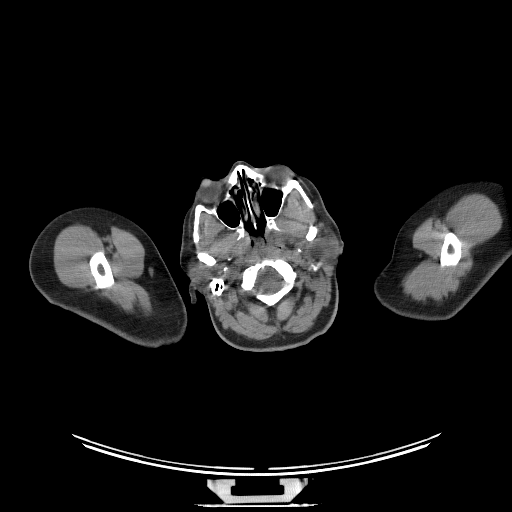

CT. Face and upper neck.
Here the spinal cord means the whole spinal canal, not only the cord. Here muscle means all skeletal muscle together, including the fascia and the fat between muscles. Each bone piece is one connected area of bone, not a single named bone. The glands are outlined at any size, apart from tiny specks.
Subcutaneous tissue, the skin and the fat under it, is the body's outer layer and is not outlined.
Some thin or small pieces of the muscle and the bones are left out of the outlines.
{"head_and_neck":[{"outer":[[236,160],[255,167],[279,162],[305,176],[319,191],[338,226],[344,254],[336,267],[337,311],[329,329],[305,345],[269,352],[235,348],[215,331],[204,296],[198,291],[196,302],[191,303],[189,279],[179,264],[183,219],[198,180],[203,176],[225,176]],"holes":[[[241,190],[242,190],[243,192],[243,195],[240,198],[239,220],[237,225],[231,226],[226,223],[218,214],[218,206],[222,202],[225,202],[226,201],[230,201],[236,206],[237,205],[236,197],[238,196],[238,194]],[[264,188],[269,188],[270,189],[277,190],[281,193],[281,197],[280,198],[280,203],[277,209],[277,211],[274,215],[268,215],[263,210],[262,211],[262,208],[261,207],[261,205],[260,204],[260,202],[258,198],[259,198],[262,194]],[[262,214],[262,216],[265,222],[263,234],[261,235],[251,235],[249,233],[249,232],[247,230],[246,230],[246,228],[245,227],[245,223],[249,218],[251,221],[252,226],[255,230],[257,228],[257,221],[256,220],[257,218],[260,218]]]}],"muscle":[{"outer":[[299,179],[311,191],[318,204],[319,217],[325,222],[318,234],[319,228],[310,223],[304,237],[309,242],[314,239],[311,256],[331,264],[330,301],[315,325],[306,332],[262,341],[249,340],[222,327],[203,289],[211,277],[208,267],[215,265],[217,260],[207,250],[200,249],[201,214],[204,212],[212,215],[224,227],[235,233],[237,241],[245,239],[250,243],[251,236],[281,230],[276,220],[293,190],[310,210],[314,208]],"holes":[[[263,258],[271,258],[272,259],[282,258],[291,264],[297,274],[297,276],[294,281],[293,287],[276,303],[270,306],[257,299],[250,291],[246,291],[244,290],[241,287],[240,284],[241,283],[241,274],[242,271],[246,267],[252,264],[254,264]],[[213,277],[223,277],[224,278],[224,281],[225,282],[225,283],[227,285],[227,288],[225,290],[224,290],[222,292],[221,295],[220,295],[219,296],[218,295],[213,295],[211,292],[211,290],[209,288],[209,287],[208,286],[208,284],[209,283],[209,282]],[[317,262],[320,262],[321,263],[321,264],[320,265],[320,266],[318,268],[318,269],[316,271],[313,271],[311,269],[311,268],[310,267],[310,265],[312,263],[316,263]]]},{"outer":[[473,192],[487,195],[498,205],[503,219],[499,232],[477,247],[475,250],[475,265],[455,294],[450,295],[440,303],[431,299],[423,303],[405,296],[398,283],[415,264],[414,256],[416,252],[411,244],[413,231],[427,217],[433,214],[441,217],[460,197]],"hole":[[448,231],[451,231],[453,232],[459,238],[459,239],[463,242],[463,245],[462,246],[462,256],[456,265],[454,266],[445,266],[444,267],[441,267],[440,266],[440,261],[439,260],[440,259],[441,247],[443,243],[443,237],[440,234],[440,233],[444,233]]},{"outer":[[74,222],[87,224],[100,234],[107,224],[114,224],[130,231],[140,240],[146,254],[145,272],[141,279],[157,302],[153,315],[145,316],[138,310],[134,313],[127,313],[110,301],[99,297],[92,290],[71,288],[59,281],[53,266],[54,240],[62,228]],"hole":[[99,250],[103,251],[109,263],[109,265],[111,268],[111,271],[112,272],[112,274],[114,278],[114,283],[113,285],[109,288],[103,288],[102,289],[97,289],[95,288],[95,280],[90,270],[90,267],[89,266],[89,259],[94,252],[98,251]]},[[194,206],[191,238],[192,239],[192,242],[195,247],[195,255],[196,256],[196,258],[199,261],[193,258],[191,259],[190,245],[189,244],[190,236],[188,232],[188,221],[189,220],[190,213],[192,211]]],"spinal_cord":[[[268,269],[270,270],[273,270],[274,272],[275,272],[279,276],[280,276],[282,280],[282,285],[280,287],[280,288],[279,288],[274,292],[262,292],[259,290],[257,290],[255,288],[256,281],[257,280],[257,278],[259,275],[259,273],[260,271],[265,272]]],"parotid_glands":[[[324,224],[326,224],[329,226],[335,235],[335,237],[337,240],[337,245],[338,247],[337,248],[337,251],[334,254],[334,257],[332,261],[327,261],[326,260],[317,259],[313,257],[311,254],[312,253],[312,247],[315,238],[316,236],[319,234],[320,230]],[[193,259],[198,262],[200,262],[202,263],[204,265],[205,265],[208,269],[208,271],[209,272],[210,277],[204,283],[202,283],[201,284],[198,284],[196,283],[190,277],[189,277],[187,273],[187,268],[188,267],[188,264],[190,260],[192,260]]],"left_arm":[[[468,180],[488,180],[497,182],[501,185],[508,213],[511,257],[477,294],[455,316],[449,319],[440,321],[417,320],[400,316],[382,306],[376,299],[372,286],[376,275],[389,261],[392,255],[394,241],[402,224],[416,209],[434,194],[450,185]]],"right_arm":[[[81,206],[100,206],[115,211],[139,225],[152,239],[164,260],[186,307],[187,327],[183,338],[179,342],[157,348],[145,348],[138,346],[70,311],[51,304],[35,288],[29,274],[28,260],[32,245],[36,237],[41,230],[54,217],[67,210]]],"bones":[{"outer":[[238,164],[257,168],[269,181],[278,184],[286,177],[296,179],[313,208],[310,209],[293,189],[275,220],[280,230],[272,229],[264,233],[266,222],[262,213],[255,220],[255,229],[251,219],[249,217],[246,220],[244,227],[250,235],[250,242],[245,238],[237,240],[234,231],[212,214],[203,211],[199,218],[198,246],[216,260],[215,264],[208,266],[197,258],[192,238],[195,206],[198,203],[206,206],[219,203],[228,174]],"holes":[[[241,190],[242,190],[243,192],[243,195],[240,198],[239,220],[237,225],[231,226],[226,223],[218,214],[218,206],[222,202],[225,202],[226,201],[230,201],[236,206],[237,205],[236,197],[238,196],[238,194]],[[264,188],[269,188],[270,189],[277,190],[281,193],[281,197],[280,198],[280,203],[277,209],[277,211],[274,215],[268,215],[263,210],[262,211],[262,208],[261,207],[261,205],[260,204],[260,202],[258,198],[259,198],[262,194]]]},{"outer":[[263,258],[271,258],[272,259],[282,258],[291,264],[297,274],[297,276],[294,281],[293,287],[276,303],[270,306],[257,299],[250,291],[246,291],[244,290],[241,287],[240,284],[241,283],[241,274],[242,271],[246,267],[252,264],[254,264]],"hole":[[268,269],[270,270],[273,270],[274,272],[275,272],[279,276],[280,276],[282,280],[282,285],[280,287],[280,288],[279,288],[274,292],[262,292],[259,290],[257,290],[255,288],[256,281],[257,280],[257,278],[259,275],[259,273],[260,271],[265,272]]},[[99,250],[103,251],[109,263],[109,265],[111,268],[111,271],[112,272],[112,274],[114,278],[114,283],[113,285],[109,288],[103,288],[102,289],[97,289],[95,288],[95,280],[90,270],[90,267],[89,266],[89,259],[94,252],[98,251]],[[448,231],[451,231],[453,232],[459,238],[459,239],[463,242],[463,245],[462,246],[462,256],[456,265],[454,266],[445,266],[444,267],[441,267],[440,266],[440,261],[439,260],[440,259],[441,247],[443,243],[443,237],[440,234],[440,233],[444,233]],[[213,277],[223,277],[224,278],[224,281],[225,282],[225,283],[227,285],[227,288],[225,290],[224,290],[222,292],[221,295],[220,295],[219,296],[218,295],[213,295],[211,292],[211,290],[209,288],[209,287],[208,286],[208,284],[209,283],[209,282]],[[310,224],[313,224],[314,225],[315,225],[318,228],[318,231],[317,232],[317,233],[316,234],[316,235],[315,236],[315,237],[311,241],[309,241],[308,240],[307,240],[305,237],[305,235],[307,232],[307,230],[308,229],[308,227]]]}